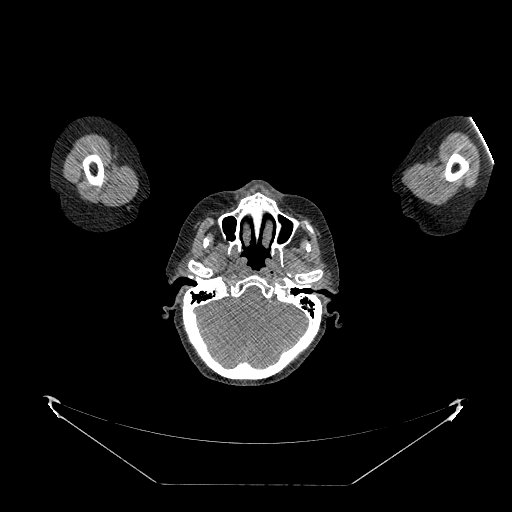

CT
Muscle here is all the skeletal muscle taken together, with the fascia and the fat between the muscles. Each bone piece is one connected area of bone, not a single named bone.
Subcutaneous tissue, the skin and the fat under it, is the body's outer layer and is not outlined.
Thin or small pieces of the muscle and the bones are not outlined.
{"head":[{"outer":[[252,179],[321,210],[339,286],[335,294],[318,291],[331,299],[327,309],[339,313],[342,326],[330,316],[315,349],[287,377],[232,386],[205,377],[192,363],[172,309],[162,318],[179,288],[194,284],[187,277],[168,283],[165,268],[193,207]],"holes":[[[261,229],[261,243],[265,248],[269,248],[269,256],[264,260],[263,266],[258,269],[254,269],[248,264],[247,259],[242,255],[243,246],[244,245],[245,246],[249,245],[252,237],[252,233],[254,235],[254,240],[257,242],[259,240],[259,238],[261,235]],[[279,216],[281,216],[282,217],[285,218],[285,219],[286,220],[289,221],[291,223],[291,229],[290,230],[287,237],[283,241],[282,241],[281,242],[279,242],[278,241],[278,239],[279,238],[279,235],[280,234],[280,232],[282,229],[282,223],[279,219]],[[228,217],[232,217],[235,220],[235,226],[234,227],[234,231],[233,232],[234,237],[233,238],[233,239],[228,239],[228,238],[227,237],[227,235],[226,234],[226,232],[224,230],[224,226],[223,225],[223,222],[224,221],[224,220],[226,218],[227,218]]]}],"right_arm":[[[88,115],[107,118],[117,124],[127,133],[137,148],[141,163],[148,175],[150,183],[150,194],[140,204],[137,217],[128,224],[106,232],[88,231],[72,223],[60,209],[58,196],[56,192],[51,188],[49,183],[50,157],[55,140],[60,131],[71,121]]],"bones":[{"outer":[[192,258],[211,268],[226,283],[254,273],[271,283],[288,272],[321,268],[323,275],[315,283],[322,304],[317,334],[307,348],[271,376],[231,379],[216,373],[198,356],[183,328],[182,297],[188,285],[194,284],[186,277],[190,273],[187,264]],"hole":[[252,286],[257,287],[267,300],[271,300],[274,296],[279,302],[296,308],[305,318],[306,324],[297,339],[282,350],[274,361],[264,366],[255,366],[247,360],[242,360],[233,366],[226,366],[210,351],[201,333],[196,310],[227,297],[238,298],[247,288]]},{"outer":[[256,191],[274,199],[285,214],[307,220],[313,228],[314,235],[302,224],[297,228],[283,248],[283,266],[279,252],[270,256],[270,248],[263,245],[261,228],[257,241],[252,232],[241,253],[235,245],[227,254],[228,243],[216,220],[233,210],[242,197]],"holes":[[[279,216],[281,216],[282,217],[285,218],[285,219],[286,220],[289,221],[291,223],[291,229],[290,230],[287,237],[283,241],[282,241],[281,242],[279,242],[278,241],[278,239],[279,238],[279,235],[280,234],[280,232],[282,229],[282,223],[279,219]],[[228,217],[232,217],[235,220],[235,226],[234,227],[234,231],[233,232],[234,237],[233,238],[233,239],[228,239],[228,238],[227,237],[227,235],[226,234],[226,232],[224,230],[224,226],[223,225],[223,222],[224,221],[224,220],[226,218],[227,218]]]},[[92,153],[96,153],[100,157],[101,159],[101,161],[103,164],[103,171],[104,172],[104,181],[102,183],[102,185],[99,188],[89,183],[86,177],[86,175],[84,172],[83,167],[82,166],[82,161],[83,159],[88,154],[91,154]],[[453,152],[459,153],[467,160],[468,160],[468,165],[469,166],[469,169],[462,176],[461,176],[456,180],[454,181],[448,181],[446,180],[445,178],[445,175],[446,174],[446,172],[445,171],[445,167],[446,166],[446,164],[448,161],[449,157]]],"muscle":[{"outer":[[256,184],[264,186],[279,196],[286,206],[308,216],[317,224],[323,238],[325,255],[332,274],[329,281],[321,285],[316,284],[324,275],[324,271],[321,267],[314,267],[294,273],[288,271],[284,276],[276,277],[271,282],[256,272],[226,282],[221,275],[215,275],[211,267],[192,257],[186,264],[189,273],[184,275],[176,271],[177,263],[186,250],[193,224],[206,211],[218,208],[219,204],[226,205],[237,194]],"holes":[[[256,191],[274,199],[285,214],[300,221],[307,220],[313,228],[314,235],[302,224],[297,228],[291,241],[283,248],[283,266],[277,250],[258,269],[248,264],[235,245],[230,254],[227,254],[228,243],[222,238],[216,220],[220,215],[233,210],[242,197]],[[206,236],[207,236],[209,238],[209,244],[205,248],[204,248],[203,247],[203,239]]]},{"outer":[[454,130],[467,131],[476,142],[483,160],[482,182],[475,189],[469,192],[464,196],[462,196],[443,205],[431,206],[418,199],[409,191],[402,187],[401,186],[401,177],[403,172],[410,165],[410,163],[415,156],[423,148],[431,144],[445,134]],"hole":[[453,152],[459,153],[467,160],[468,160],[468,165],[469,166],[469,169],[462,176],[461,176],[456,180],[454,181],[448,181],[446,180],[445,178],[445,175],[446,174],[446,172],[445,171],[445,167],[446,166],[446,164],[448,161],[449,157]]},{"outer":[[88,132],[101,132],[108,135],[122,147],[132,160],[135,170],[140,180],[140,187],[137,194],[128,205],[121,208],[108,208],[97,206],[88,201],[81,199],[76,190],[63,179],[61,174],[61,170],[63,160],[68,149],[71,146],[71,144],[79,136]],"hole":[[92,153],[96,153],[100,157],[101,159],[101,161],[103,164],[103,171],[104,172],[104,181],[102,183],[102,185],[99,188],[89,183],[86,177],[86,175],[84,172],[83,167],[82,166],[82,161],[83,159],[88,154],[91,154]]}],"left_arm":[[[465,114],[471,117],[477,125],[493,159],[494,167],[492,170],[487,191],[484,197],[475,204],[467,223],[461,230],[444,236],[429,235],[421,231],[413,219],[402,213],[400,207],[400,196],[392,190],[392,173],[405,157],[419,134],[430,123],[445,116]]],"brain":[[[252,286],[257,287],[267,300],[271,300],[274,296],[279,302],[296,308],[305,318],[306,324],[297,339],[282,350],[274,361],[264,366],[255,366],[247,360],[242,360],[233,366],[226,366],[210,351],[201,333],[196,310],[227,297],[238,298],[247,288]]]}